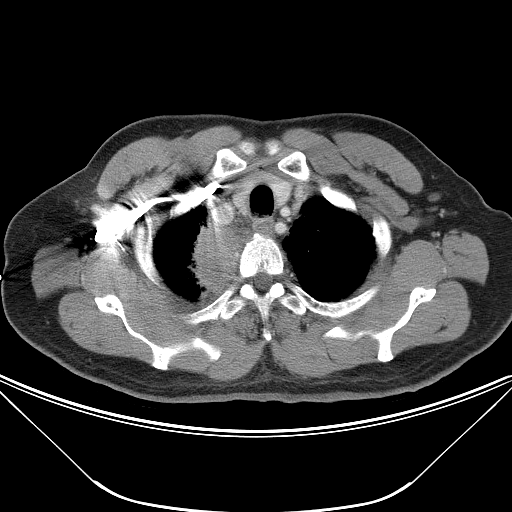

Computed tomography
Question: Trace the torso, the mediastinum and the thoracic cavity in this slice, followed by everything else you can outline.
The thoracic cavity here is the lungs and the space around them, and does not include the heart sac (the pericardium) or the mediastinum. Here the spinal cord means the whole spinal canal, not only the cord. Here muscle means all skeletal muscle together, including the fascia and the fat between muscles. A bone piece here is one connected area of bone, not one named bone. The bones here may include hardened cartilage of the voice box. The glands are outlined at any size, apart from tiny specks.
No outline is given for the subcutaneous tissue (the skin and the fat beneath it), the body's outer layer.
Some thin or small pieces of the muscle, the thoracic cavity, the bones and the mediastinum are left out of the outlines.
Answer: torso: (325, 112) (366, 113) (399, 124) (468, 180) (490, 206) (511, 216) (511, 322) (491, 345) (452, 373) (413, 393) (331, 403) (166, 403) (134, 397) (72, 373) (9, 324) (0, 295) (3, 239) (9, 221) (34, 197) (83, 168) (115, 131) (159, 114) (224, 113) (265, 120)
mediastinum 1: (286, 180) (290, 181) (293, 183) (303, 183) (310, 192) (317, 194) (311, 195) (307, 197) (301, 203) (297, 214) (298, 215) (297, 216) (296, 215) (295, 216) (292, 222) (290, 222) (285, 217) (281, 215) (278, 212) (278, 210) (279, 210) (290, 198) (292, 186) (291, 184)
mediastinum 2: (248, 175) (249, 175) (248, 177) (245, 177) (242, 182) (231, 193) (231, 197) (230, 198) (214, 201) (211, 204) (210, 209) (208, 209) (204, 204) (204, 202) (207, 201) (208, 198) (218, 190) (220, 186) (219, 184) (220, 182) (225, 182) (235, 179) (238, 177) (242, 177)
thoracic cavity: (264, 183) (277, 212) (290, 223) (307, 198) (321, 195) (371, 227) (376, 255) (362, 283) (345, 298) (317, 299) (296, 282) (281, 245) (256, 231) (221, 293) (197, 301) (175, 293) (153, 257) (160, 227) (200, 204) (210, 210) (214, 202) (231, 198) (247, 216) (249, 193)
bones 1: (256, 232) (280, 245) (290, 279) (317, 300) (336, 302) (375, 285) (378, 291) (364, 305) (341, 317) (308, 309) (299, 315) (276, 299) (264, 322) (254, 303) (247, 300) (229, 319) (187, 323) (181, 314) (205, 307) (234, 281) (232, 275) (238, 273) (236, 265) (242, 249) with a hole at (260, 272) (263, 272) (264, 273) (271, 276) (273, 278) (272, 279) (273, 280) (273, 281) (270, 285) (269, 288) (266, 291) (265, 291) (264, 292) (259, 292) (258, 291) (257, 291) (255, 289) (255, 288) (252, 283) (252, 278)
bones 2: (109, 293) (116, 295) (121, 301) (125, 317) (132, 329) (155, 344) (168, 346) (187, 342) (196, 336) (218, 347) (221, 351) (220, 356) (210, 361) (201, 349) (191, 349) (174, 355) (166, 370) (153, 367) (151, 348) (131, 335) (119, 316) (102, 312) (97, 307) (95, 296)
bones 3: (416, 286) (433, 287) (435, 294) (429, 301) (417, 305) (408, 321) (393, 333) (390, 348) (394, 357) (391, 360) (380, 362) (377, 359) (378, 342) (369, 335) (356, 340) (323, 337) (325, 332) (338, 325) (352, 333) (360, 330) (380, 331) (393, 325) (406, 311) (409, 295)
bones 4: (221, 148) (231, 148) (241, 158) (246, 161) (246, 167) (243, 170) (234, 173) (220, 181) (218, 184) (219, 186) (217, 190) (197, 206) (177, 217) (169, 219) (169, 210) (179, 199) (194, 192) (195, 189) (197, 188) (205, 187) (211, 181) (209, 174) (216, 159) (216, 153)
bones 5: (148, 219) (150, 219) (151, 227) (154, 231) (153, 244) (152, 245) (152, 257) (155, 266) (157, 269) (157, 271) (161, 277) (160, 282) (164, 287) (158, 286) (156, 284) (153, 283) (146, 276) (140, 268) (134, 254) (134, 242) (137, 236) (138, 231)
bones 6: (295, 150) (298, 150) (302, 152) (305, 155) (305, 159) (306, 160) (306, 162) (310, 169) (310, 176) (309, 177) (309, 179) (307, 181) (301, 181) (300, 180) (298, 180) (290, 176) (288, 174) (284, 173) (282, 171) (281, 171) (277, 166) (277, 163) (281, 158)
bones 7: (380, 216) (383, 217) (387, 221) (391, 231) (391, 237) (392, 238) (392, 241) (391, 242) (390, 248) (386, 255) (382, 258) (378, 257) (377, 255) (377, 253) (376, 252) (376, 246) (374, 241) (374, 237) (372, 234) (372, 223) (373, 222) (373, 220) (374, 218) (377, 218)
bones 8: (327, 182) (329, 183) (329, 184) (333, 188) (336, 188) (345, 192) (354, 200) (357, 207) (357, 214) (351, 211) (348, 211) (345, 209) (343, 209) (342, 208) (340, 208) (333, 205) (331, 203) (330, 203) (321, 194) (319, 190) (319, 184) (320, 183) (323, 183) (324, 184)
bones 9: (241, 141) (251, 141) (252, 142) (254, 142) (256, 144) (257, 144) (257, 145) (258, 146) (258, 147) (257, 148) (257, 149) (256, 150) (256, 151) (253, 154) (245, 154) (241, 150) (240, 150) (240, 149) (238, 147) (238, 145) (239, 144) (239, 143)
bones 10: (267, 140) (275, 140) (276, 141) (277, 141) (278, 142) (278, 143) (280, 146) (280, 149) (279, 150) (279, 151) (278, 151) (275, 154) (274, 154) (273, 155) (269, 155) (266, 152) (266, 151) (264, 149) (264, 148) (263, 147) (263, 144) (264, 143) (264, 142)
thyroid glands: (259, 170) (264, 170) (288, 182) (291, 186) (289, 198) (280, 208) (276, 208) (274, 203) (274, 195) (270, 186) (267, 182) (260, 181) (249, 190) (246, 201) (247, 215) (243, 215) (234, 204) (232, 200) (232, 193) (243, 182) (245, 178) (248, 178) (250, 175)
muscle: (223, 124) (259, 138) (293, 127) (365, 132) (400, 151) (420, 172) (430, 211) (485, 244) (489, 270) (466, 330) (394, 356) (394, 333) (436, 294) (416, 285) (393, 324) (322, 334) (369, 336) (379, 362) (309, 378) (276, 365) (265, 346) (248, 374) (220, 382) (167, 370) (191, 350) (216, 361) (218, 346) (196, 335) (157, 344) (109, 292) (94, 296) (96, 307) (150, 348) (150, 365) (74, 342) (35, 295) (36, 252) (78, 231) (120, 148), around holes outlined by (221, 148) (231, 148) (246, 161) (243, 170) (222, 182) (259, 168) (303, 183) (318, 195) (319, 184) (327, 182) (354, 200) (369, 226) (383, 217) (391, 231) (390, 248) (384, 257) (375, 256) (347, 297) (375, 285) (375, 295) (341, 317) (308, 309) (299, 315) (276, 299) (264, 322) (247, 300) (229, 319) (187, 323) (181, 314) (221, 294) (190, 301) (162, 277) (164, 287) (158, 286) (140, 268) (134, 242) (148, 219) (155, 235) (179, 199) (211, 181) and by (295, 150) (298, 150) (302, 152) (305, 155) (305, 159) (306, 160) (306, 162) (310, 169) (310, 176) (309, 177) (309, 179) (307, 181) (301, 181) (300, 180) (298, 180) (290, 176) (288, 174) (284, 173) (282, 171) (281, 171) (277, 166) (277, 163) (281, 158) and by (241, 141) (251, 141) (252, 142) (254, 142) (256, 144) (257, 144) (257, 145) (258, 146) (258, 147) (257, 148) (257, 149) (256, 150) (256, 151) (253, 154) (245, 154) (241, 150) (240, 150) (240, 149) (238, 147) (238, 145) (239, 144) (239, 143) and by (267, 140) (275, 140) (276, 141) (277, 141) (278, 142) (278, 143) (280, 146) (280, 149) (279, 150) (279, 151) (278, 151) (275, 154) (274, 154) (273, 155) (269, 155) (266, 152) (266, 151) (264, 149) (264, 148) (263, 147) (263, 144) (264, 143) (264, 142) and by (265, 325) (268, 328) (268, 329) (269, 330) (269, 331) (270, 332) (270, 333) (271, 334) (271, 339) (269, 341) (267, 341) (263, 337) (263, 336) (262, 335) (262, 330) (263, 329) (263, 328) (264, 327) (264, 326)
spinal cord: (260, 272) (263, 272) (264, 273) (271, 276) (273, 278) (272, 279) (273, 280) (273, 281) (270, 285) (269, 288) (266, 291) (265, 291) (264, 292) (259, 292) (258, 291) (257, 291) (255, 289) (255, 288) (252, 283) (252, 278)